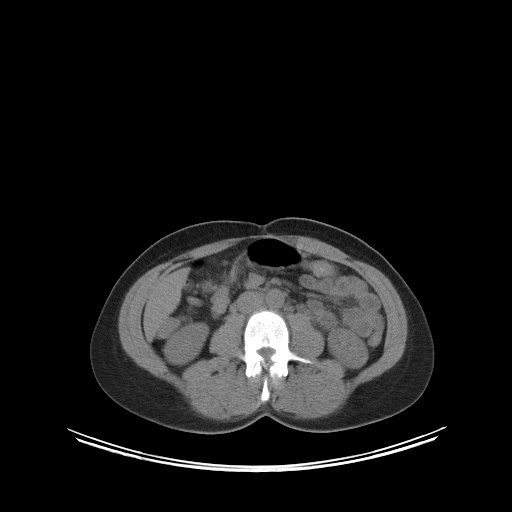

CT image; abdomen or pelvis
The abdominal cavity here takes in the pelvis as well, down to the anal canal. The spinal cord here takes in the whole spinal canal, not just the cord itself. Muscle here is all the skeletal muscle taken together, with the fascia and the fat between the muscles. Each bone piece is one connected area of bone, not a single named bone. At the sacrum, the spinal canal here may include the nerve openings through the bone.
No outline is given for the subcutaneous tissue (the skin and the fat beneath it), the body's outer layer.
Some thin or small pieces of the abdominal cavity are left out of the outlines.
The spinal cord is outlined by (264, 347) (269, 347) (270, 348) (271, 348) (272, 349) (273, 349) (274, 350) (274, 352) (269, 357) (269, 360) (270, 361) (269, 362) (268, 362) (267, 361) (266, 361) (266, 360) (260, 354) (259, 354) (258, 353) (258, 350) (259, 349) (260, 349) (261, 348) (263, 348). The abdominal cavity is outlined by (262, 236) (345, 265) (371, 286) (386, 316) (376, 360) (345, 377) (338, 361) (319, 358) (325, 338) (305, 313) (290, 314) (287, 325) (279, 313) (260, 309) (245, 325) (241, 313) (230, 312) (211, 334) (210, 357) (180, 374) (166, 365) (141, 324) (144, 303) (160, 274). The torso is outlined by (291, 216) (318, 220) (359, 237) (388, 260) (417, 297) (432, 333) (435, 359) (429, 383) (413, 404) (385, 419) (335, 432) (300, 431) (263, 416) (239, 430) (200, 434) (144, 419) (102, 390) (90, 364) (92, 330) (112, 286) (144, 249) (194, 223) (244, 220) (263, 224). The muscle is outlined by (266, 233) (271, 233) (277, 235) (280, 235) (281, 234) (301, 235) (302, 236) (308, 236) (312, 238) (315, 238) (328, 244) (330, 244) (351, 256) (354, 259) (367, 263) (381, 271) (390, 280) (396, 291) (398, 293) (406, 313) (406, 316) (407, 317) (407, 337) (406, 338) (406, 345) (404, 349) (404, 352) (400, 359) (391, 368) (372, 380) (359, 385) (350, 394) (346, 401) (346, 403) (337, 413) (331, 414) (326, 417) (316, 418) (315, 419) (295, 419) (282, 413) (280, 413) (276, 411) (270, 405) (267, 405) (266, 406) (262, 406) (252, 414) (237, 420) (233, 420) (232, 421) (217, 421) (212, 419) (203, 418) (196, 414) (190, 409) (190, 407) (184, 400) (182, 395) (178, 392) (172, 385) (152, 375) (148, 371) (137, 365) (125, 352) (121, 345) (120, 339) (119, 338) (119, 333) (118, 332) (118, 317) (119, 316) (120, 307) (127, 291) (133, 283) (146, 271) (154, 267) (156, 265) (165, 262) (180, 253) (182, 253) (187, 250) (190, 250) (193, 248) (198, 247) (204, 244) (211, 243) (215, 241) (218, 241) (227, 238) (249, 236) (250, 235) (257, 235) (258, 234) (265, 234); inner edge: (262, 236) (371, 286) (386, 316) (376, 360) (345, 377) (338, 361) (319, 358) (322, 332) (292, 313) (289, 349) (311, 363) (290, 360) (262, 402) (263, 374) (247, 377) (239, 357) (245, 317) (232, 311) (211, 334) (210, 357) (180, 374) (166, 365) (141, 324) (160, 274). The bones are outlined by (260, 310) (271, 310) (279, 314) (288, 328) (289, 349) (311, 361) (311, 363) (304, 363) (290, 360) (286, 376) (269, 377) (267, 385) (269, 399) (265, 402) (260, 399) (263, 374) (247, 377) (245, 374) (246, 365) (239, 357) (244, 352) (243, 332) (247, 320) (251, 314), around a hole outlined by (264, 347) (269, 347) (270, 348) (271, 348) (272, 349) (273, 349) (274, 350) (274, 352) (269, 357) (269, 360) (270, 361) (269, 362) (268, 362) (267, 361) (266, 361) (266, 360) (260, 354) (259, 354) (258, 353) (258, 350) (259, 349) (260, 349) (261, 348) (263, 348).